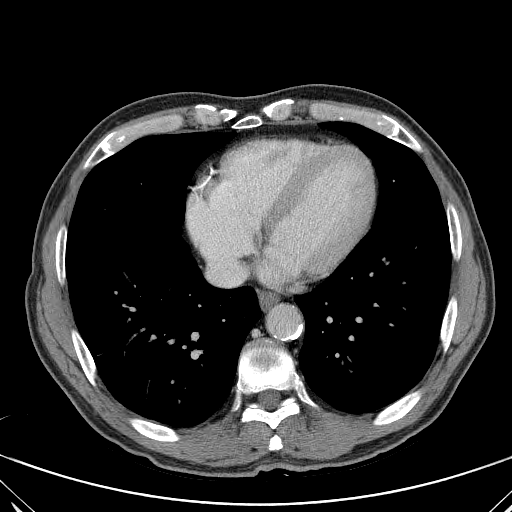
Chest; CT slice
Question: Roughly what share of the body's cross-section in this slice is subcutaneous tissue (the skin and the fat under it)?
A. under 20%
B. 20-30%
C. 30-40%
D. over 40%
Answer: A. under 20%
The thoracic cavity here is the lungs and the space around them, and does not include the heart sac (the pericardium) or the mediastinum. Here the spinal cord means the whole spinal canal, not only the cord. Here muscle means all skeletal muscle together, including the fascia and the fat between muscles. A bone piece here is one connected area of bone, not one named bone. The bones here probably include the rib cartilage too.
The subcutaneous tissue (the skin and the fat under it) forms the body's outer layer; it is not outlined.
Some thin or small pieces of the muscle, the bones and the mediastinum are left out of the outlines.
pericardium: [[267,134],[322,135],[342,139],[358,147],[370,159],[377,178],[377,202],[371,227],[367,233],[331,274],[313,288],[299,293],[285,294],[267,289],[233,262],[223,259],[200,259],[190,245],[184,231],[186,198],[202,166],[216,152],[228,145],[247,138]]
torso: [[312,83],[354,87],[388,99],[407,112],[460,171],[493,267],[496,311],[490,331],[433,422],[372,458],[303,472],[262,470],[251,478],[204,478],[162,471],[96,432],[34,349],[24,291],[43,200],[82,139],[104,117],[130,102],[180,91],[249,96]]
mediastinum 1: [[190,246],[200,260],[223,260],[233,263],[267,290],[285,295],[303,293],[294,297],[305,322],[303,343],[298,352],[297,366],[292,355],[270,338],[264,337],[244,344],[246,337],[262,314],[254,288],[250,285],[233,288],[212,285],[205,279],[191,253]]
mediastinum 2: [[315,120],[320,122],[318,125],[321,128],[336,132],[356,145],[342,138],[330,135],[267,133],[265,135],[247,137],[219,149],[236,135],[234,131],[177,131],[217,127],[223,124],[229,125],[232,129],[240,130],[259,127],[270,122],[295,124],[313,122]]
mediastinum 3: [[214,152],[215,152],[215,153],[214,153],[207,159],[203,165],[201,166],[201,168],[199,171],[197,172],[195,179],[193,183],[190,186],[189,188],[189,191],[187,193],[187,195],[187,187],[191,182],[192,177],[194,174],[194,172],[196,168],[208,156]]
bones 1: [[264,338],[272,340],[291,355],[308,393],[321,408],[316,409],[297,397],[296,401],[300,407],[300,412],[285,417],[275,429],[258,420],[240,421],[243,408],[248,402],[245,396],[242,398],[241,406],[229,413],[241,350],[246,343]] with a hole at [[269,389],[272,389],[273,390],[277,390],[278,391],[280,391],[281,392],[281,395],[282,396],[282,398],[279,403],[279,406],[277,408],[273,410],[267,410],[266,409],[264,409],[260,407],[260,405],[257,401],[257,394],[264,390],[268,390]]
bones 2: [[312,103],[325,103],[344,108],[352,108],[368,112],[384,113],[396,120],[404,127],[419,143],[423,151],[422,152],[416,152],[402,143],[391,139],[383,134],[357,122],[346,121],[345,120],[324,120],[323,121],[316,120],[312,118],[308,113],[308,107]]
bones 3: [[169,114],[181,114],[185,118],[185,125],[182,128],[173,132],[152,133],[151,134],[143,135],[136,138],[115,153],[96,164],[93,167],[86,169],[82,168],[85,161],[92,151],[108,133],[123,126],[135,124],[139,122],[142,122],[156,117],[168,115]]
bones 4: [[284,98],[295,100],[291,115],[287,119],[279,121],[266,118],[264,123],[255,127],[232,128],[230,126],[231,120],[217,126],[201,125],[192,118],[193,106],[198,103],[211,104],[219,109],[234,109],[237,111],[239,118],[248,114],[260,114],[264,106]]
bones 5: [[420,388],[422,389],[423,391],[419,400],[405,415],[392,422],[390,422],[386,424],[374,425],[372,423],[372,421],[374,418],[374,416],[376,414],[376,413],[377,413],[380,410],[383,409],[388,405],[398,400],[411,390],[415,390],[416,389],[419,389]]
bones 6: [[130,417],[142,417],[154,423],[159,423],[160,424],[168,426],[176,430],[179,434],[180,438],[176,441],[161,441],[160,440],[157,440],[156,439],[153,439],[152,438],[147,437],[141,434],[139,432],[138,432],[129,423],[128,419]]
bones 7: [[72,328],[77,329],[80,336],[82,338],[85,345],[87,347],[90,354],[92,356],[92,358],[96,367],[96,371],[98,375],[96,379],[96,386],[93,386],[91,384],[81,367],[81,365],[76,354],[76,352],[74,348],[74,345],[71,338],[71,329]]
bones 8: [[448,202],[451,202],[454,205],[457,211],[457,214],[459,219],[459,223],[460,224],[460,229],[461,230],[461,253],[460,254],[460,257],[457,261],[452,259],[452,254],[451,253],[451,245],[450,244],[449,228],[448,227],[447,216],[445,210],[446,205]]
bones 9: [[452,295],[454,295],[457,299],[457,314],[455,319],[455,324],[453,329],[453,333],[450,340],[450,343],[447,348],[447,350],[445,353],[443,354],[443,350],[440,343],[440,338],[439,337],[440,336],[440,330],[441,329],[442,320],[448,300]]
bones 10: [[62,224],[65,224],[67,226],[67,236],[66,237],[66,243],[65,244],[65,274],[66,275],[66,282],[67,283],[67,285],[63,285],[62,286],[58,280],[57,272],[56,271],[56,266],[55,265],[55,241],[56,240],[56,236],[57,235],[58,229]]
bones 11: [[274,434],[277,434],[280,437],[280,438],[281,439],[281,442],[282,443],[282,447],[280,449],[279,449],[278,450],[274,450],[273,451],[271,451],[270,450],[269,450],[269,449],[268,448],[268,445],[269,444],[269,440],[270,439],[270,438]]
spinal cord: [[269,389],[272,389],[273,390],[277,390],[278,391],[280,391],[281,392],[281,395],[282,396],[282,398],[279,403],[279,406],[277,408],[273,410],[267,410],[266,409],[264,409],[260,407],[260,405],[257,401],[257,394],[264,390],[268,390]]
thoracic cavity 1: [[195,131],[234,132],[235,135],[195,168],[186,187],[181,235],[209,284],[222,289],[252,287],[261,314],[240,350],[231,400],[204,421],[175,429],[126,407],[112,395],[99,376],[93,356],[74,319],[66,274],[66,244],[78,191],[92,168],[143,136]]
thoracic cavity 2: [[326,121],[357,123],[415,152],[437,186],[446,216],[451,262],[439,343],[421,379],[377,412],[347,413],[318,398],[314,399],[297,370],[306,322],[295,297],[310,292],[331,275],[368,233],[379,195],[379,180],[371,159],[346,136],[321,127],[319,123]]
muscle 1: [[188,105],[193,105],[193,121],[207,127],[179,130],[186,118],[169,113],[108,132],[84,161],[81,168],[90,170],[79,186],[68,224],[57,229],[56,277],[62,287],[67,286],[76,326],[70,329],[70,338],[90,384],[96,387],[99,377],[116,400],[139,416],[130,416],[128,423],[141,435],[161,442],[178,441],[181,436],[176,429],[204,422],[231,401],[228,413],[237,411],[244,397],[247,402],[239,421],[262,422],[272,430],[301,412],[297,398],[316,410],[322,408],[318,399],[347,414],[375,413],[374,426],[405,416],[423,394],[420,387],[412,389],[431,365],[438,345],[444,355],[451,343],[458,314],[457,297],[449,297],[451,263],[461,257],[462,230],[455,205],[448,201],[444,206],[436,182],[417,153],[424,151],[422,146],[387,113],[427,145],[458,194],[486,288],[486,312],[477,337],[441,394],[415,422],[329,459],[276,452],[283,443],[274,433],[268,440],[270,451],[258,459],[210,466],[134,441],[95,413],[62,374],[37,330],[36,290],[43,274],[42,240],[70,177],[91,146],[114,127]]
muscle 2: [[294,98],[296,99],[305,98],[306,99],[334,100],[367,106],[384,112],[376,112],[352,107],[344,107],[325,102],[312,102],[307,107],[307,113],[314,120],[313,121],[295,123],[286,122],[280,121],[287,120],[292,115],[294,109],[293,106],[296,102]]